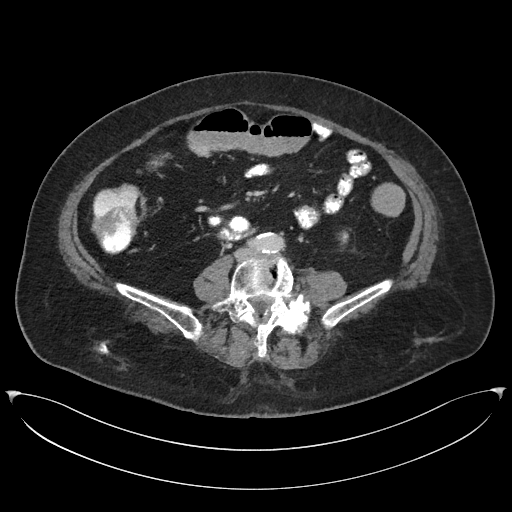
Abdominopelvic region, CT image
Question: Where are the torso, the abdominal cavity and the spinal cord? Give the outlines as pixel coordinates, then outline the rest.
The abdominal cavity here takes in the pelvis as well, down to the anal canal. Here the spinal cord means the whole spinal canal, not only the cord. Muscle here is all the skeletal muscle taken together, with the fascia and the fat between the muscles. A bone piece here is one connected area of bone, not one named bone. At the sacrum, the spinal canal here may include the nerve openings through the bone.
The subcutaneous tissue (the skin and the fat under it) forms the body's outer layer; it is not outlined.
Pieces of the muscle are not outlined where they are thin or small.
Answer: {"torso":[[[242,70],[298,73],[353,87],[406,115],[442,148],[471,199],[494,282],[492,325],[474,354],[403,387],[355,404],[289,417],[234,418],[197,414],[122,393],[50,365],[32,352],[16,317],[15,283],[31,205],[55,158],[87,126],[127,102],[191,78]]],"abdominal_cavity":[[[237,105],[306,116],[381,155],[406,187],[414,215],[393,275],[346,294],[336,269],[293,274],[284,256],[260,256],[238,263],[230,279],[233,258],[223,255],[193,279],[202,303],[189,305],[120,281],[95,259],[78,233],[78,210],[106,167],[166,126]]],"spinal_cord":[[[256,298],[261,298],[263,300],[265,300],[266,301],[269,301],[269,305],[261,313],[259,313],[258,312],[257,312],[257,311],[254,308],[254,307],[252,305],[252,304],[251,303],[251,302],[249,300],[250,299],[255,299]]],"bones":[{"outer":[[275,256],[287,260],[294,278],[293,296],[301,293],[309,301],[310,312],[299,333],[290,334],[276,326],[267,337],[266,355],[260,357],[254,343],[256,328],[244,321],[234,322],[226,311],[215,311],[211,307],[229,293],[231,277],[238,264],[250,258]],"hole":[[256,298],[261,298],[263,300],[265,300],[266,301],[269,301],[269,305],[261,313],[259,313],[258,312],[257,312],[257,311],[254,308],[254,307],[252,305],[252,304],[251,303],[251,302],[249,300],[250,299],[255,299]]},[[116,281],[119,281],[131,285],[169,302],[188,305],[191,308],[193,314],[203,326],[202,328],[203,332],[201,336],[196,341],[193,341],[190,339],[185,338],[182,332],[163,315],[141,303],[134,301],[124,295],[122,295],[114,286],[114,283]],[[386,278],[392,278],[393,279],[393,283],[387,292],[374,298],[369,302],[358,307],[353,311],[350,312],[343,317],[333,327],[329,329],[326,329],[321,324],[320,322],[320,318],[322,314],[330,306],[337,302],[348,299],[356,295],[364,289]]],"muscle":[{"outer":[[240,100],[249,100],[261,103],[286,105],[287,106],[293,106],[300,109],[303,109],[309,112],[320,115],[325,118],[330,119],[336,123],[338,123],[345,127],[350,128],[354,131],[373,140],[383,143],[385,145],[392,148],[418,170],[430,189],[433,192],[437,203],[438,207],[438,237],[439,238],[438,239],[438,248],[433,262],[430,275],[425,284],[421,287],[414,289],[399,289],[396,290],[385,296],[370,311],[352,320],[350,320],[347,323],[344,324],[339,332],[335,343],[319,361],[307,368],[303,368],[302,369],[288,369],[273,365],[264,360],[259,360],[243,367],[232,367],[229,365],[224,365],[212,360],[204,354],[198,347],[180,337],[154,334],[146,326],[135,322],[131,322],[128,320],[124,313],[123,307],[118,301],[98,291],[90,289],[82,284],[69,270],[62,258],[62,255],[60,253],[58,247],[58,219],[61,212],[61,209],[70,190],[87,172],[127,143],[143,134],[157,124],[171,117],[188,113],[204,107],[208,107],[224,103],[229,103]],"hole":[[237,105],[371,147],[414,215],[391,287],[329,329],[322,314],[364,289],[298,268],[292,293],[309,318],[299,333],[276,326],[263,357],[255,327],[211,308],[230,291],[231,255],[192,281],[193,341],[122,295],[78,233],[82,197],[114,160]]}]}